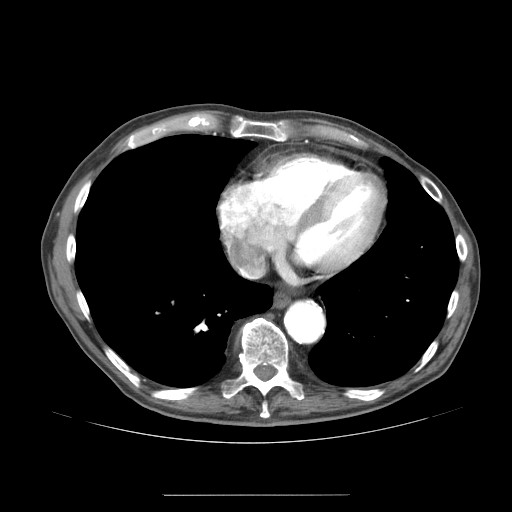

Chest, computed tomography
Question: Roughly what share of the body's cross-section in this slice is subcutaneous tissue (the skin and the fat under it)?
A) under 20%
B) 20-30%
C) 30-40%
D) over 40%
Answer: A) under 20%
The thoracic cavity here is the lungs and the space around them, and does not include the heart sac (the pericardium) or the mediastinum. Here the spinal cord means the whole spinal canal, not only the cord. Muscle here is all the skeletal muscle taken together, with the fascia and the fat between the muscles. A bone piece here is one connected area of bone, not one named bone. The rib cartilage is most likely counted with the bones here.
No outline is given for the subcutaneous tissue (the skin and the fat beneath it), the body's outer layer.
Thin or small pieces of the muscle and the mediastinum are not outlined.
The muscle appears in 3 outlined pieces: piece 1: (194, 110) (219, 110) (234, 114) (227, 123) (229, 135) (218, 132) (222, 125) (220, 118) (207, 112) (175, 116) (131, 133) (94, 181) (87, 179) (79, 188) (72, 209) (78, 215) (75, 234) (70, 232) (66, 237) (65, 256) (70, 264) (74, 263) (79, 287) (75, 298) (83, 316) (89, 323) (92, 320) (104, 341) (102, 350) (106, 357) (135, 387) (141, 386) (140, 375) (149, 382) (166, 387) (151, 390) (149, 393) (153, 398) (184, 400) (200, 385) (226, 370) (236, 356) (240, 370) (234, 377) (220, 382) (221, 395) (229, 399) (246, 387) (256, 388) (263, 398) (259, 412) (262, 418) (237, 413) (188, 412) (145, 399) (130, 389) (87, 347) (52, 292) (49, 246) (56, 217) (73, 186) (95, 168) (125, 135) (166, 117); piece 2: (442, 192) (470, 238) (475, 271) (469, 313) (445, 362) (405, 389) (374, 403) (267, 419) (270, 412) (266, 397) (274, 387) (281, 387) (297, 400) (305, 397) (303, 385) (290, 375) (288, 368) (300, 366) (325, 383) (347, 388) (342, 394) (349, 399) (371, 401) (386, 391) (378, 386) (402, 376) (417, 363) (413, 372) (418, 372) (433, 357) (439, 347) (436, 337) (457, 307) (460, 293) (455, 286) (459, 265) (468, 254) (463, 234) (454, 235) (441, 205); piece 3: (307, 117) (324, 119) (348, 126) (390, 149) (411, 166) (423, 173) (417, 178) (407, 168) (392, 158) (368, 149) (370, 145) (363, 139) (336, 126) (322, 123) (306, 124) (305, 128) (307, 129) (307, 132) (305, 137) (292, 138) (296, 135) (297, 129) (294, 123) (288, 118). The pericardium is outlined by (285, 143) (319, 143) (359, 156) (367, 160) (382, 173) (387, 192) (383, 227) (371, 247) (355, 261) (329, 279) (316, 285) (308, 285) (305, 287) (291, 286) (283, 282) (261, 283) (238, 274) (234, 270) (232, 263) (223, 249) (216, 216) (216, 206) (226, 184) (265, 148). The bones appear in 14 outlined pieces: piece 1: (258, 317) (272, 322) (284, 333) (289, 346) (287, 370) (302, 385) (304, 393) (302, 399) (297, 399) (281, 386) (271, 388) (265, 397) (267, 418) (260, 416) (264, 398) (256, 387) (246, 386) (229, 398) (221, 390) (221, 382) (234, 378) (241, 370) (237, 356) (238, 330) with a hole at (259, 365) (263, 365) (264, 366) (266, 366) (267, 365) (270, 365) (271, 366) (272, 366) (276, 370) (276, 372) (269, 379) (268, 379) (267, 380) (262, 380) (260, 378) (259, 378) (255, 374) (255, 373) (254, 372) (254, 369) (257, 366) (258, 366); piece 2: (197, 113) (207, 113) (218, 117) (221, 122) (221, 125) (218, 131) (214, 131) (211, 133) (176, 132) (169, 135) (163, 136) (133, 149) (129, 149) (117, 154) (117, 151) (120, 146) (131, 134) (144, 128) (153, 126) (158, 123) (172, 119) (175, 117) (184, 115) (191, 116); piece 3: (235, 114) (239, 114) (246, 119) (249, 119) (250, 120) (270, 121) (271, 122) (276, 122) (279, 119) (287, 118) (293, 123) (296, 129) (296, 133) (291, 138) (289, 138) (285, 141) (276, 141) (268, 138) (256, 137) (255, 136) (232, 137) (228, 132) (228, 123) (230, 118); piece 4: (310, 124) (322, 124) (323, 125) (336, 127) (339, 129) (344, 130) (351, 134) (353, 134) (358, 138) (366, 142) (369, 145) (369, 147) (367, 149) (362, 149) (334, 140) (318, 139) (311, 136) (306, 137) (306, 134) (308, 132) (308, 129) (306, 128) (306, 125) (309, 125); piece 5: (106, 344) (108, 346) (109, 346) (131, 368) (131, 370) (133, 372) (136, 373) (140, 377) (140, 386) (139, 387) (137, 387) (136, 386) (135, 386) (130, 381) (130, 380) (110, 361) (110, 360) (107, 357) (107, 356) (105, 354) (105, 353) (103, 350) (103, 347); piece 6: (194, 386) (198, 386) (199, 388) (188, 397) (184, 399) (178, 399) (177, 400) (169, 400) (168, 399) (161, 399) (160, 398) (153, 397) (150, 393) (151, 391) (153, 390) (155, 390) (156, 389) (162, 389) (163, 388) (188, 388) (189, 387) (193, 387); piece 7: (348, 388) (363, 388) (364, 389) (371, 389) (372, 388) (383, 388) (385, 390) (385, 391) (384, 393) (383, 393) (380, 396) (374, 399) (372, 399) (371, 400) (361, 400) (360, 399) (357, 399) (356, 398) (349, 398) (345, 396) (343, 394) (343, 392); piece 8: (422, 174) (423, 174) (424, 175) (426, 175) (428, 177) (429, 177) (439, 188) (439, 189) (441, 192) (441, 194) (442, 195) (442, 201) (440, 204) (439, 203) (438, 203) (424, 189) (424, 188) (421, 185) (420, 182) (418, 180) (418, 178) (420, 176) (420, 175) (421, 175); piece 9: (87, 180) (91, 180) (92, 181) (91, 186) (89, 189) (89, 192) (87, 195) (86, 200) (83, 206) (81, 208) (79, 213) (78, 214) (75, 214) (74, 213) (74, 211) (73, 209) (74, 208) (74, 204) (75, 203) (75, 199) (76, 198) (76, 196) (80, 188); piece 10: (435, 338) (436, 338) (438, 340) (438, 347) (435, 353) (432, 356) (432, 357) (425, 364) (424, 366) (423, 366) (418, 371) (416, 372) (414, 372) (414, 368) (418, 364) (418, 362) (420, 358) (422, 356) (424, 352) (427, 349) (429, 345); piece 11: (458, 233) (460, 233) (461, 234) (462, 234) (462, 235) (465, 240) (466, 245) (467, 246) (467, 254) (466, 255) (465, 260) (463, 262) (460, 262) (460, 261) (458, 258) (458, 255) (457, 254) (457, 251) (456, 250) (456, 245) (455, 244) (455, 236); piece 12: (70, 233) (72, 233) (74, 235) (74, 236) (75, 237) (75, 259) (74, 260) (74, 262) (73, 263) (70, 263) (67, 260) (67, 257) (66, 256) (66, 243) (67, 242) (67, 237) (68, 236) (68, 235); piece 13: (78, 289) (80, 289) (81, 290) (85, 298) (85, 300) (87, 303) (87, 305) (89, 308) (89, 312) (90, 313) (90, 316) (91, 317) (91, 321) (90, 322) (89, 322) (86, 319) (86, 318) (84, 316) (78, 304) (78, 302) (76, 298) (76, 291); piece 14: (455, 288) (458, 291) (458, 292) (459, 293) (459, 297) (458, 298) (458, 301) (457, 302) (456, 307) (455, 308) (453, 313) (450, 316) (450, 317) (449, 318) (446, 318) (446, 314) (447, 313) (447, 306) (448, 305) (448, 302) (449, 301) (450, 296) (451, 295) (453, 290). The thoracic cavity appears in 2 outlined pieces: piece 1: (214, 132) (256, 143) (231, 173) (217, 200) (215, 216) (218, 239) (228, 263) (242, 278) (270, 287) (271, 305) (265, 311) (233, 322) (237, 353) (226, 369) (199, 385) (167, 387) (149, 381) (132, 369) (99, 333) (76, 277) (77, 222) (92, 184) (118, 155) (173, 134); piece 2: (383, 156) (407, 169) (443, 208) (452, 229) (459, 261) (457, 279) (439, 331) (418, 361) (405, 373) (377, 387) (334, 385) (319, 379) (298, 365) (307, 361) (309, 353) (326, 331) (326, 306) (316, 290) (367, 252) (387, 224) (388, 187) (384, 167) (380, 161). The mediastinum appears in 2 outlined pieces: piece 1: (267, 283) (283, 283) (297, 288) (321, 284) (315, 293) (321, 297) (325, 306) (325, 331) (308, 353) (306, 361) (292, 368) (289, 368) (290, 346) (285, 333) (262, 316) (248, 320) (239, 327) (238, 350) (236, 349) (232, 329) (234, 322) (265, 312) (272, 305) (273, 290); piece 2: (244, 137) (262, 138) (276, 142) (285, 142) (289, 139) (314, 138) (334, 141) (362, 150) (369, 150) (383, 155) (379, 161) (383, 167) (384, 177) (383, 173) (376, 166) (359, 155) (319, 142) (285, 142) (265, 147) (228, 181) (242, 158) (257, 145) (255, 141) (240, 138). The torso is outlined by (205, 102) (260, 111) (315, 110) (351, 119) (395, 143) (446, 185) (477, 239) (481, 280) (467, 334) (440, 377) (388, 406) (356, 416) (285, 426) (237, 426) (182, 420) (145, 408) (124, 395) (82, 351) (46, 290) (40, 240) (50, 210) (76, 166) (118, 126) (144, 113). The spinal cord is outlined by (259, 365) (263, 365) (264, 366) (266, 366) (267, 365) (270, 365) (271, 366) (272, 366) (276, 370) (276, 372) (269, 379) (268, 379) (267, 380) (262, 380) (260, 378) (259, 378) (255, 374) (255, 373) (254, 372) (254, 369) (257, 366) (258, 366).